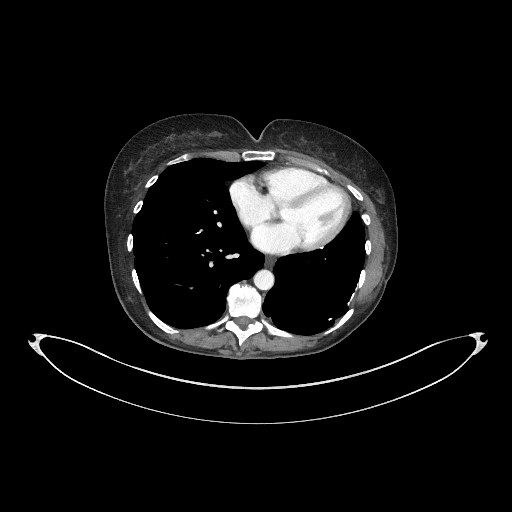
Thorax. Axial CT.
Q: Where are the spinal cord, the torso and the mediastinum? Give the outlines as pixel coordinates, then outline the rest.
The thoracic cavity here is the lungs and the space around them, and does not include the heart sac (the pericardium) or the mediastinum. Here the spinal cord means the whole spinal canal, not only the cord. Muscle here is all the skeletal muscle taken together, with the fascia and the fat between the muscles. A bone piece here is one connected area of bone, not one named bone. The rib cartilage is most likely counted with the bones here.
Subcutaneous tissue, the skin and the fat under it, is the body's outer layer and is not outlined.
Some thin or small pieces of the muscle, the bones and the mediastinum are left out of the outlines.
A: The spinal cord is outlined by 243 329; 244 328; 245 328; 249 323; 252 322; 252 319; 251 319; 250 318; 249 318; 246 316; 240 316; 239 317; 238 317; 235 320; 236 321; 237 324; 238 325; 239 325; 240 326; 240 327; 241 327. The torso is outlined by 230 360; 273 360; 320 353; 359 327; 384 293; 398 250; 393 189; 375 157; 340 131; 307 120; 276 118; 255 138; 231 115; 182 113; 156 120; 140 129; 121 147; 112 162; 105 183; 103 210; 110 274; 122 308; 145 335; 165 347. The mediastinum appears in 3 outlined pieces: piece 1: 264 298; 265 295; 272 287; 274 283; 275 278; 273 274; 273 267; 278 258; 280 257; 271 256; 268 254; 263 253; 264 254; 264 263; 263 266; 260 269; 257 270; 250 278; 241 281; 242 282; 246 282; 254 286; 259 291; piece 2: 253 171; 255 171; 258 169; 260 169; 264 167; 268 167; 269 166; 273 166; 274 165; 287 165; 285 165; 284 164; 280 164; 279 163; 275 163; 271 161; 262 161; 263 163; 262 165; 259 168; piece 3: 359 213; 360 213; 360 212; 359 211; 359 209; 358 208; 358 207; 357 206; 357 203; 356 202; 356 201; 355 200; 355 199; 352 196; 352 195; 350 193; 350 194; 351 195; 351 198; 352 199; 352 203; 353 204; 353 211; 357 211. The bones appear in 12 outlined pieces: piece 1: 240 346; 251 334; 264 327; 272 335; 290 338; 297 335; 276 327; 265 318; 262 311; 263 298; 254 287; 246 283; 235 282; 230 285; 227 291; 226 312; 217 321; 203 327; 208 330; 217 327; 219 331; 223 329; 231 330; 236 335 with a hole at 243 329; 244 328; 245 328; 249 323; 252 322; 252 319; 251 319; 250 318; 249 318; 246 316; 240 316; 239 317; 238 317; 235 320; 236 321; 237 324; 238 325; 239 325; 240 326; 240 327; 241 327; piece 2: 226 161; 238 161; 240 160; 239 159; 240 157; 245 161; 249 161; 250 160; 273 160; 275 158; 276 153; 272 150; 265 150; 264 151; 246 150; 242 152; 240 155; 237 152; 206 151; 204 153; 206 156; 214 156; 220 160; 225 160; piece 3: 167 333; 177 333; 179 331; 179 330; 178 329; 176 329; 168 325; 166 323; 162 321; 156 315; 155 315; 149 308; 148 308; 147 309; 147 314; 149 316; 151 320; 159 328; 160 328; 162 330; 163 330; piece 4: 324 334; 327 334; 328 333; 329 333; 330 332; 337 329; 340 326; 341 326; 352 315; 352 314; 354 311; 354 308; 351 305; 350 306; 350 307; 347 310; 347 311; 330 328; 327 329; 325 331; 324 331; 323 332; 323 333; piece 5: 326 175; 328 174; 327 170; 320 167; 318 165; 314 163; 312 163; 305 160; 302 160; 300 158; 298 158; 294 156; 291 156; 289 158; 289 159; 293 162; 298 163; 300 165; 303 164; 305 166; 307 166; 316 171; 318 171; piece 6: 168 165; 170 165; 171 164; 174 164; 175 163; 178 163; 182 161; 186 161; 187 160; 189 160; 192 158; 192 156; 189 153; 184 153; 178 156; 176 158; 172 160; 170 160; 168 161; 167 162; 167 164; piece 7: 140 294; 142 294; 142 291; 141 290; 141 288; 139 284; 139 280; 137 276; 137 273; 136 272; 136 270; 135 268; 133 268; 131 270; 131 275; 132 276; 132 279; 133 280; 133 282; 138 292; piece 8: 357 200; 362 200; 363 199; 363 197; 362 196; 362 195; 361 194; 361 193; 355 187; 354 187; 353 186; 352 186; 350 184; 347 184; 346 185; 346 187; 348 189; 348 190; 353 195; 353 196; piece 9: 130 252; 131 251; 132 251; 132 248; 133 247; 133 235; 132 234; 132 233; 131 232; 130 232; 128 234; 128 235; 127 236; 127 240; 126 241; 126 244; 127 245; 127 250; 128 251; 129 251; piece 10: 359 289; 362 286; 362 285; 363 284; 363 283; 364 282; 364 280; 365 279; 365 275; 366 274; 366 271; 365 270; 365 269; 364 268; 363 268; 361 270; 361 271; 360 272; 360 275; 359 276; 359 279; 358 280; 358 283; 359 284; piece 11: 146 188; 148 188; 151 185; 152 185; 156 181; 156 180; 158 178; 158 175; 157 174; 154 174; 153 175; 152 175; 148 179; 148 180; 146 182; 146 183; 145 184; 145 185; 144 186; piece 12: 134 214; 136 214; 141 209; 141 208; 142 207; 142 205; 143 204; 143 200; 139 200; 135 204; 135 205; 134 206; 134 207; 133 208; 133 213. The thoracic cavity appears in 2 outlined pieces: piece 1: 176 328; 204 326; 220 318; 225 312; 225 295; 229 285; 250 277; 262 266; 263 254; 247 240; 224 184; 225 180; 232 180; 259 167; 261 161; 226 162; 194 158; 168 166; 149 188; 143 207; 133 223; 134 263; 149 307; 162 320; piece 2: 301 335; 320 333; 330 327; 346 311; 354 300; 358 289; 357 280; 359 272; 363 267; 365 258; 365 229; 360 214; 357 212; 351 214; 343 229; 322 249; 281 257; 274 267; 276 280; 264 299; 263 311; 266 318; 276 326; 294 334. The pericardium is outlined by 276 256; 286 255; 290 253; 305 252; 322 248; 331 241; 345 225; 352 212; 351 199; 347 190; 343 186; 323 174; 309 168; 297 166; 274 166; 264 168; 235 179; 228 186; 229 195; 238 219; 245 231; 248 240; 258 250. The muscle appears in 2 outlined pieces: piece 1: 238 356; 295 351; 316 346; 331 338; 361 312; 373 300; 381 285; 387 266; 389 249; 381 218; 369 197; 358 186; 318 158; 294 150; 275 147; 272 149; 277 155; 272 161; 307 167; 291 162; 288 158; 294 155; 318 164; 327 169; 328 176; 338 183; 345 186; 350 183; 355 186; 364 197; 362 201; 357 201; 360 211; 366 211; 371 216; 371 223; 366 226; 366 238; 372 242; 372 251; 365 259; 364 267; 367 274; 365 282; 358 290; 352 305; 355 311; 341 327; 327 335; 322 333; 312 336; 298 335; 290 339; 269 335; 264 328; 251 335; 240 347; 231 331; 219 332; 218 328; 209 331; 202 327; 179 329; 180 331; 177 334; 167 334; 159 329; 146 314; 148 306; 144 296; 137 292; 130 275; 130 270; 134 267; 134 254; 126 250; 125 244; 126 236; 131 231; 135 216; 132 213; 132 208; 139 199; 145 197; 148 189; 143 186; 145 182; 134 198; 118 235; 119 277; 126 297; 136 313; 156 332; 171 341; 180 341; 187 345; piece 2: 159 175; 165 168; 167 167; 166 162; 168 160; 172 159; 184 152; 189 152; 193 156; 193 158; 194 157; 211 157; 212 158; 216 158; 214 157; 206 157; 203 154; 206 150; 218 150; 219 151; 227 150; 228 151; 237 151; 240 154; 242 151; 247 149; 245 148; 238 148; 237 149; 198 149; 197 150; 182 152; 163 160; 159 164; 159 166; 157 168; 156 171; 154 172; 154 173; 157 173.